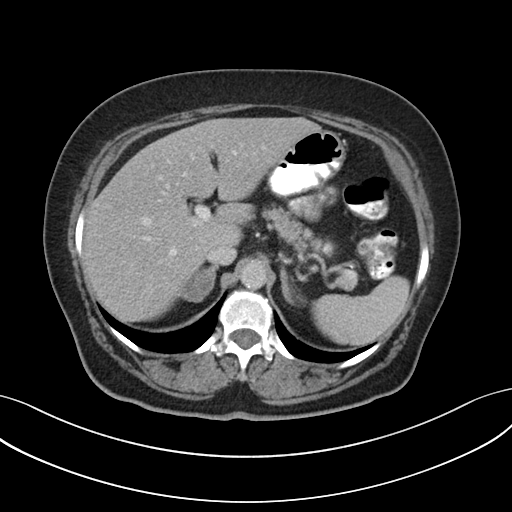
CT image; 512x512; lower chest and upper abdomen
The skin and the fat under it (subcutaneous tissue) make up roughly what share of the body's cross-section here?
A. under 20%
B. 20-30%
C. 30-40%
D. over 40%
Answer: B. 20-30%
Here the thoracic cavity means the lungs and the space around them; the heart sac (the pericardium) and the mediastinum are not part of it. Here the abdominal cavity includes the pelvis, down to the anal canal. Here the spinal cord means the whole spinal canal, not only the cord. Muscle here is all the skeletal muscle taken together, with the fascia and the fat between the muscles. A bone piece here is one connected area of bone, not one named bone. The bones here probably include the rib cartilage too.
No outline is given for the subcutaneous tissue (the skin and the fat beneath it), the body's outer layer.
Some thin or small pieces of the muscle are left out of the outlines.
spinal cord: 239,329 250,329 251,330 254,331 259,336 259,340 257,342 256,342 254,344 253,344 248,348 242,348 236,342 235,342 231,338 231,337 230,336 231,335 231,334 234,331 235,331 236,330 238,330
muscle: 226,103 289,104 329,111 362,120 391,133 399,139 415,159 425,183 435,220 435,249 426,292 409,330 406,341 388,365 361,381 330,395 287,405 268,405 260,401 247,385 244,383 235,383 207,399 185,399 176,397 149,386 127,371 97,343 92,335 84,303 74,276 67,246 67,229 73,199 79,178 88,162 104,142 117,132 138,122 174,112 with a hole at 249,108 302,114 371,140 382,149 411,204 419,249 424,243 428,247 425,277 419,287 413,284 380,345 354,365 340,369 340,361 289,359 275,351 270,361 262,354 253,355 245,369 247,378 241,380 239,360 233,353 164,353 142,347 141,354 111,332 90,287 84,260 75,247 75,227 79,213 82,209 88,213 106,174 124,151 151,132
torso: 218,68 317,69 365,78 408,99 439,134 457,190 460,245 448,291 425,338 415,369 396,392 356,407 309,417 215,420 152,411 116,399 87,375 52,289 43,251 45,197 59,154 82,119 116,92 163,75
thoracic cavity 1: 225,293 226,296 220,306 217,315 217,324 214,327 214,330 200,345 191,351 185,352 164,353 153,351 139,346 111,325 105,319 98,306 103,308 110,316 125,326 142,332 160,334 173,332 193,324 207,313
thoracic cavity 2: 274,312 277,314 285,329 294,338 300,342 318,350 321,350 325,352 349,352 372,344 364,350 342,361 337,361 336,362 318,362 317,361 303,359 297,357 291,353 281,340 276,330 276,328 274,326
abdominal cavity: 249,108 302,114 371,140 405,191 415,217 419,261 401,313 374,343 325,351 294,337 274,309 268,267 252,258 239,266 207,312 173,331 132,328 98,305 86,275 82,238 86,215 110,168 132,143 151,132
mediastinum: 250,259 258,260 264,263 269,271 269,273 271,276 270,282 269,283 269,296 274,311 272,306 269,302 268,298 260,292 248,290 243,288 236,288 233,289 227,294 226,292 234,277 236,271 244,262
bones 1: 236,289 257,292 267,298 273,311 273,326 295,359 277,351 270,361 262,354 255,354 247,363 246,380 241,380 238,378 240,364 235,354 217,356 211,350 197,354 191,352 220,325 218,315 221,306 227,295 with a hole at 239,329 250,329 251,330 254,331 259,336 259,340 257,342 256,342 254,344 253,344 248,348 242,348 236,342 235,342 231,338 231,337 230,336 231,335 231,334 234,331 235,331 236,330 238,330
bones 2: 424,243 426,243 428,247 429,262 428,263 428,267 427,268 427,271 426,272 424,279 422,281 420,286 419,287 416,287 416,285 415,284 415,280 416,279 416,275 417,274 418,266 420,261 420,250 422,245
bones 3: 378,341 380,342 380,345 370,355 369,355 361,361 358,362 354,365 352,365 351,366 349,366 345,368 341,368 340,369 337,367 337,366 341,362 345,360 347,360 355,356 357,354 364,351
bones 4: 82,209 84,209 85,211 85,216 84,217 84,223 83,224 83,231 82,232 82,237 81,238 81,256 79,256 77,253 77,251 75,247 75,227 76,226 76,223 77,222 77,219 78,218 79,213
bones 5: 109,324 129,340 130,340 136,345 140,347 142,350 142,353 141,354 140,353 138,353 134,351 127,345 126,345 120,340 119,340 111,332 111,331 109,329 108,327 108,325